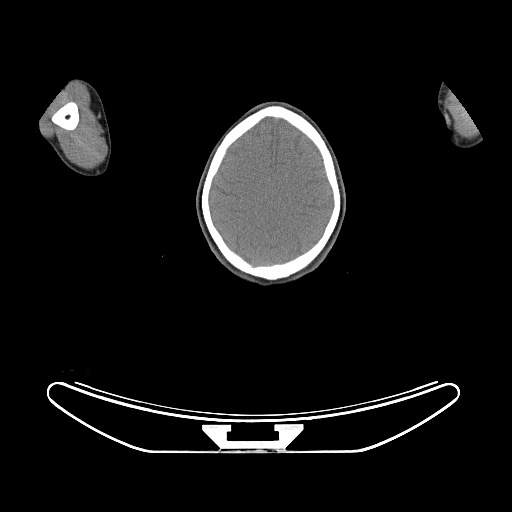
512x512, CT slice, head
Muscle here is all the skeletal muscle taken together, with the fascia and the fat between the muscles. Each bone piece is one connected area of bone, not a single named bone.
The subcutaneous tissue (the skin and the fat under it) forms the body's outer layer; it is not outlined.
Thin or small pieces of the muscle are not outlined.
Outlined structures:
muscle 1: (74, 82) (78, 82) (86, 86) (90, 96) (102, 113) (104, 124) (102, 127) (103, 136) (107, 144) (108, 152) (105, 160) (100, 165) (93, 169) (84, 169) (70, 162) (65, 157) (57, 141) (46, 137) (41, 131) (39, 120) (48, 106) (68, 83) (70, 84); inner edge: (69, 101) (73, 101) (76, 103) (77, 105) (77, 108) (78, 109) (78, 112) (79, 113) (79, 121) (78, 122) (78, 124) (77, 126) (73, 130) (67, 130) (66, 129) (64, 129) (60, 127) (58, 125) (55, 124) (51, 119) (52, 115) (59, 108) (63, 106) (67, 102)
muscle 2: (448, 89) (451, 91) (459, 103) (461, 104) (461, 105) (464, 108) (469, 117) (473, 122) (473, 124) (479, 132) (479, 134) (473, 138) (463, 138) (456, 135) (453, 130) (452, 125) (449, 123) (448, 121) (448, 115) (443, 108) (443, 101) (445, 98) (445, 96) (447, 93)
muscle 3: (323, 250) (323, 251) (321, 253) (319, 257) (318, 257) (317, 259) (316, 259) (315, 261) (314, 261) (313, 263) (312, 263) (304, 271) (303, 271) (301, 273) (295, 276) (293, 276) (292, 277) (288, 277) (301, 271) (303, 269) (307, 267) (320, 254) (320, 253)
muscle 4: (234, 268) (237, 269) (239, 271) (240, 271) (243, 273) (245, 273) (246, 274) (247, 274) (248, 275) (250, 275) (253, 277) (260, 278) (251, 278) (250, 277) (247, 277) (246, 276) (244, 276) (243, 275) (240, 274) (237, 271) (236, 271) (236, 270) (235, 269) (234, 269)
left arm: (442, 82) (451, 91) (459, 103) (461, 104) (464, 108) (473, 122) (473, 124) (481, 135) (483, 140) (482, 142) (478, 145) (471, 148) (460, 148) (453, 145) (449, 141) (447, 136) (447, 128) (446, 127) (445, 120) (444, 117) (439, 111) (437, 105) (438, 90) (440, 84)
head: (268, 100) (282, 100) (293, 104) (305, 111) (319, 125) (329, 140) (339, 162) (345, 186) (346, 207) (339, 235) (326, 258) (315, 270) (287, 284) (263, 287) (234, 276) (216, 259) (208, 247) (201, 231) (196, 214) (195, 196) (206, 159) (220, 136) (246, 110) (260, 102)
right arm: (73, 78) (81, 78) (86, 80) (95, 88) (102, 101) (105, 115) (107, 119) (111, 139) (111, 156) (106, 171) (97, 176) (84, 176) (76, 173) (66, 166) (59, 158) (53, 148) (44, 139) (39, 130) (38, 123) (40, 118) (56, 96) (60, 93) (61, 90) (68, 82)
brain: (266, 117) (282, 119) (286, 121) (304, 134) (317, 148) (321, 156) (326, 179) (331, 189) (332, 208) (320, 237) (306, 251) (292, 259) (281, 263) (273, 263) (269, 265) (252, 265) (228, 246) (215, 226) (210, 209) (209, 195) (213, 179) (226, 155) (228, 148) (242, 135)
bones 1: (268, 105) (281, 105) (289, 108) (306, 118) (318, 130) (332, 155) (340, 192) (339, 216) (323, 249) (301, 270) (287, 277) (275, 280) (268, 280) (253, 276) (234, 267) (222, 255) (213, 241) (205, 224) (201, 209) (201, 193) (205, 176) (212, 156) (222, 138) (239, 121); inner edge: (266, 117) (282, 119) (286, 121) (304, 134) (317, 148) (321, 156) (326, 179) (331, 189) (332, 208) (320, 237) (306, 251) (292, 259) (281, 263) (273, 263) (269, 265) (252, 265) (228, 246) (215, 226) (210, 209) (209, 195) (213, 179) (226, 155) (228, 148) (242, 135)
bones 2: (69, 101) (73, 101) (76, 103) (77, 105) (77, 108) (78, 109) (78, 112) (79, 113) (79, 121) (78, 122) (78, 124) (77, 126) (73, 130) (67, 130) (66, 129) (64, 129) (60, 127) (58, 125) (55, 124) (51, 119) (52, 115) (59, 108) (63, 106) (67, 102)